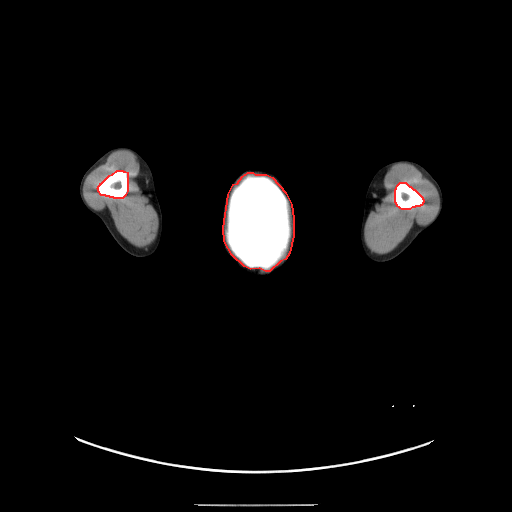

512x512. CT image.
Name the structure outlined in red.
red: bones.
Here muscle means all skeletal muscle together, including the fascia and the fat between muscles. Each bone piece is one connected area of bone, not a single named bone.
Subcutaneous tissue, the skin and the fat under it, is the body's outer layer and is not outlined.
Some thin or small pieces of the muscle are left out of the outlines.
{"bones":[[[248,172],[252,172],[255,174],[266,174],[272,177],[285,192],[291,204],[293,218],[293,235],[289,253],[285,259],[280,261],[269,271],[265,271],[259,268],[250,269],[244,266],[232,255],[224,241],[223,228],[228,194],[233,184],[237,183],[242,176]],[[117,170],[122,170],[123,171],[125,171],[127,172],[127,191],[125,195],[122,198],[114,198],[113,197],[110,197],[109,196],[106,196],[105,195],[101,195],[98,191],[98,189],[97,188],[98,186],[100,184],[100,183],[101,183],[109,175],[112,174]],[[400,182],[405,182],[409,186],[410,186],[413,189],[414,189],[422,197],[422,198],[423,199],[423,202],[421,205],[420,205],[419,206],[415,206],[414,207],[412,207],[409,209],[402,209],[397,206],[397,205],[395,202],[395,189],[396,188],[397,185]]],"head_and_neck":[[[251,168],[258,168],[268,171],[281,180],[283,184],[283,190],[289,197],[292,204],[295,226],[294,241],[287,261],[269,275],[262,277],[248,275],[236,267],[225,253],[220,235],[222,214],[226,201],[226,196],[230,186],[234,179],[240,173],[244,170]]],"right_arm":[[[119,146],[125,146],[132,148],[140,154],[146,161],[152,172],[155,191],[161,209],[162,221],[163,222],[161,238],[156,250],[150,255],[145,257],[137,257],[131,255],[125,251],[112,237],[103,222],[83,204],[79,194],[80,181],[85,171],[108,150]]],"left_arm":[[[396,160],[411,160],[420,164],[424,167],[439,184],[443,196],[443,204],[441,211],[435,221],[431,225],[423,230],[408,247],[393,259],[383,262],[378,262],[370,259],[364,253],[360,241],[360,228],[363,216],[364,200],[367,188],[374,174],[382,166]]],"muscle":[{"outer":[[118,150],[126,150],[135,155],[143,171],[149,191],[151,204],[157,213],[158,217],[157,235],[155,240],[145,249],[137,248],[126,241],[117,231],[112,220],[107,215],[92,209],[86,203],[83,197],[83,184],[86,177],[91,171],[102,164],[111,153]],"hole":[[117,170],[122,170],[123,171],[125,171],[127,172],[127,191],[125,195],[122,198],[114,198],[113,197],[110,197],[109,196],[106,196],[105,195],[101,195],[98,191],[98,189],[97,188],[98,186],[100,184],[100,183],[101,183],[109,175],[112,174]]},{"outer":[[398,163],[408,163],[413,165],[435,186],[439,195],[439,209],[435,217],[428,224],[413,229],[395,249],[387,254],[380,255],[373,253],[367,247],[364,239],[364,227],[367,217],[370,211],[373,209],[373,205],[377,192],[378,184],[381,178],[391,166]],"hole":[[400,182],[405,182],[409,186],[410,186],[413,189],[414,189],[422,197],[422,198],[423,199],[423,202],[421,205],[420,205],[419,206],[415,206],[414,207],[412,207],[409,209],[402,209],[397,206],[397,205],[395,202],[395,189],[396,188],[397,185]]}]}